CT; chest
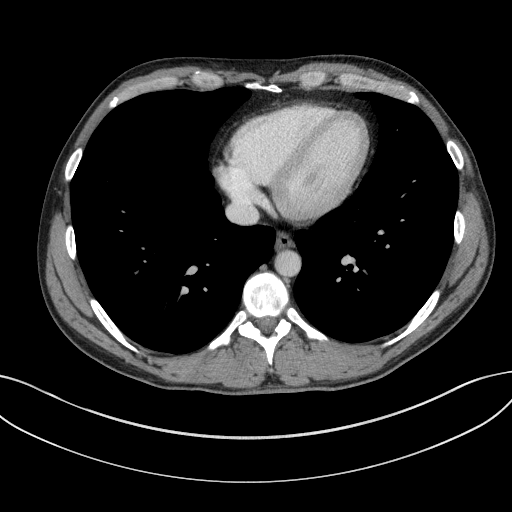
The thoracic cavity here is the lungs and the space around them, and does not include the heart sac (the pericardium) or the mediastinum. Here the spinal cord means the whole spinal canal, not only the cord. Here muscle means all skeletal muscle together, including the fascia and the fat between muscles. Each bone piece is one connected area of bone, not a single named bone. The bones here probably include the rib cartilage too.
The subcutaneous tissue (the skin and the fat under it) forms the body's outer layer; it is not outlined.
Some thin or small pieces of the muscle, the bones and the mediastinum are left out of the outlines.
The pericardium is outlined by [[294,227],[309,225],[339,205],[351,193],[361,175],[365,172],[375,149],[375,136],[365,114],[354,106],[319,96],[294,98],[286,96],[243,114],[232,122],[220,140],[216,156],[212,160],[211,168],[218,189],[228,199],[240,203],[257,204],[270,218]]. The thoracic cavity appears in 2 outlined pieces: piece 1: [[173,354],[205,346],[224,328],[241,307],[245,280],[272,253],[273,228],[264,225],[240,227],[230,223],[224,216],[208,170],[209,145],[218,128],[250,94],[243,87],[152,91],[118,105],[92,134],[70,182],[77,257],[93,295],[129,338],[145,347]]; piece 2: [[348,342],[363,342],[390,335],[405,325],[435,288],[453,242],[452,221],[458,177],[443,142],[431,121],[417,106],[376,92],[357,94],[371,100],[379,121],[378,145],[368,171],[341,206],[310,229],[299,230],[295,234],[302,268],[290,304],[330,337]]. The spinal cord is outlined by [[266,335],[268,335],[273,330],[274,327],[277,323],[277,318],[276,318],[275,317],[272,317],[271,316],[265,316],[264,317],[262,317],[261,318],[257,318],[254,320],[254,323],[255,324],[255,325],[257,327],[258,327],[264,334],[265,334]]. The bones appear in 12 outlined pieces: piece 1: [[269,365],[272,364],[277,342],[291,330],[293,324],[301,328],[309,339],[327,342],[331,340],[289,304],[290,295],[286,286],[274,273],[266,271],[248,277],[243,286],[242,307],[200,354],[227,345],[231,334],[236,329],[240,335],[255,340],[263,347]]; inner edge: [[266,335],[268,335],[273,330],[274,327],[277,323],[277,318],[276,318],[275,317],[272,317],[271,316],[265,316],[264,317],[262,317],[261,318],[257,318],[254,320],[254,323],[255,324],[255,325],[257,327],[258,327],[264,334],[265,334]]; piece 2: [[416,105],[419,102],[419,99],[417,95],[413,91],[406,89],[402,85],[396,85],[383,81],[377,81],[365,76],[362,76],[353,73],[342,73],[335,80],[335,82],[339,83],[342,86],[351,87],[357,90],[371,90],[372,91],[384,93]]; piece 3: [[110,109],[115,107],[118,104],[144,92],[147,92],[152,90],[158,90],[159,89],[171,89],[175,86],[177,83],[177,80],[175,77],[173,77],[172,76],[163,76],[147,82],[142,82],[141,83],[131,85],[112,98],[109,102],[109,104],[108,105]]; piece 4: [[384,346],[390,345],[394,343],[396,341],[399,340],[413,331],[428,316],[434,308],[439,298],[440,290],[438,288],[436,288],[432,292],[424,304],[405,326],[405,328],[400,333],[394,337],[387,341],[385,341],[383,343],[383,345]]; piece 5: [[135,352],[138,352],[138,349],[135,346],[131,344],[127,340],[126,336],[112,321],[112,320],[106,313],[106,312],[98,302],[98,301],[94,297],[92,296],[90,297],[89,298],[89,303],[95,315],[103,325],[103,326],[124,346],[129,348],[131,350]]; piece 6: [[200,90],[210,90],[211,89],[215,89],[216,88],[221,87],[223,86],[224,84],[224,81],[221,77],[216,74],[214,74],[213,73],[208,73],[200,70],[196,70],[191,75],[190,77],[190,80],[194,85],[197,87],[199,87],[200,88]]; piece 7: [[304,89],[311,89],[313,87],[316,87],[317,86],[319,86],[323,83],[324,83],[326,80],[326,74],[325,73],[325,72],[323,72],[322,71],[310,71],[309,72],[306,72],[305,73],[302,74],[300,76],[300,86],[301,87],[301,88],[303,88]]; piece 8: [[66,181],[70,181],[71,180],[75,172],[75,170],[77,168],[77,166],[81,159],[81,157],[82,156],[82,153],[83,152],[83,150],[81,147],[78,147],[76,148],[72,152],[66,163],[66,165],[65,166],[65,170],[64,171],[64,177]]; piece 9: [[457,244],[460,243],[460,242],[462,240],[463,234],[464,233],[464,229],[465,228],[465,219],[464,218],[464,216],[462,212],[459,209],[456,209],[455,215],[454,216],[454,220],[453,221],[453,236],[454,237],[454,242]]; piece 10: [[458,170],[460,170],[462,169],[463,167],[463,157],[461,154],[461,152],[459,148],[454,142],[454,141],[453,141],[451,139],[447,139],[445,143],[445,145],[446,146],[446,149],[448,153],[450,155],[456,168]]; piece 11: [[72,259],[75,259],[76,258],[76,249],[75,248],[75,235],[74,234],[74,231],[73,230],[73,227],[70,223],[66,226],[66,228],[65,229],[65,244],[66,245],[66,248],[67,249],[68,254],[69,255],[69,256]]; piece 12: [[272,92],[281,92],[283,90],[281,87],[280,87],[278,85],[274,83],[271,83],[267,85],[264,85],[258,81],[250,81],[249,82],[246,82],[244,84],[244,87],[246,88],[250,88],[251,89],[264,89],[265,90],[267,90],[268,91],[271,91]]. The torso is outlined by [[226,395],[339,390],[377,380],[441,339],[483,292],[493,266],[496,235],[475,156],[435,97],[401,68],[377,58],[346,53],[288,58],[156,58],[125,70],[109,82],[63,145],[47,184],[37,235],[39,283],[53,320],[82,352],[118,373],[162,389]]. The mediastinum appears in 2 outlined pieces: piece 1: [[291,295],[301,268],[301,256],[294,234],[299,229],[310,228],[315,222],[301,228],[276,222],[257,205],[228,200],[217,189],[214,180],[225,216],[230,222],[240,226],[264,224],[274,228],[276,235],[273,253],[253,273],[266,270],[274,272],[287,286]]; piece 2: [[211,173],[211,160],[219,140],[231,122],[243,113],[286,95],[319,95],[361,109],[374,129],[376,148],[377,118],[370,100],[356,95],[358,92],[371,91],[304,90],[291,86],[284,88],[281,93],[249,89],[250,96],[222,124],[210,145],[208,162]]. The muscle is outlined by [[233,388],[255,387],[267,375],[276,375],[288,385],[302,385],[310,379],[339,380],[374,372],[436,327],[474,291],[488,243],[470,162],[439,112],[408,83],[340,62],[310,62],[268,77],[251,71],[176,66],[122,82],[85,123],[72,149],[84,149],[114,95],[163,75],[177,78],[174,88],[199,89],[189,77],[200,69],[218,74],[225,84],[258,80],[283,89],[300,88],[302,73],[322,70],[327,80],[313,88],[356,90],[334,82],[342,72],[353,72],[413,90],[444,143],[451,138],[460,148],[464,167],[458,171],[457,208],[465,216],[466,228],[461,243],[453,243],[436,287],[441,295],[429,316],[386,347],[382,343],[404,326],[368,342],[330,338],[327,343],[307,339],[293,325],[278,342],[271,366],[262,347],[236,330],[227,346],[203,355],[199,352],[204,347],[173,355],[128,338],[139,349],[135,353],[102,326],[88,303],[92,294],[78,260],[68,256],[64,244],[64,229],[71,223],[69,182],[63,177],[68,156],[54,199],[46,252],[46,281],[61,317],[125,363],[165,381]].